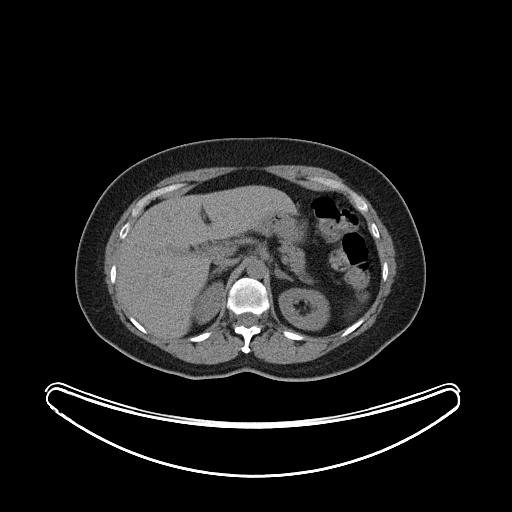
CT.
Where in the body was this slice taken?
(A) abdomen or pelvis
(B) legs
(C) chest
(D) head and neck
(A) abdomen or pelvis
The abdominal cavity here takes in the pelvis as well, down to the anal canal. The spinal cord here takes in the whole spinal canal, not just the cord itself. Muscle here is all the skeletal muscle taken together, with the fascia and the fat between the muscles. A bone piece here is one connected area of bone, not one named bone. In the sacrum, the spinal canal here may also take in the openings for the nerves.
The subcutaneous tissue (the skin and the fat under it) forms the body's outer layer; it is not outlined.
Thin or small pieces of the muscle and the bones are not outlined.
The bones appear in 9 outlined pieces: piece 1: [[242,277],[253,278],[261,282],[267,291],[269,302],[269,308],[259,319],[260,332],[254,334],[249,341],[248,345],[250,350],[248,353],[244,353],[241,350],[244,345],[244,339],[240,334],[234,331],[233,326],[236,322],[236,317],[226,306],[230,288]], around a hole outlined by [[246,312],[249,312],[250,313],[252,313],[257,316],[258,318],[258,322],[257,324],[254,324],[248,327],[244,325],[242,325],[241,324],[238,324],[238,322],[237,321],[237,317],[239,315],[243,313],[245,313]]; piece 2: [[312,176],[322,176],[325,178],[330,178],[342,182],[350,189],[356,192],[361,197],[367,205],[368,209],[367,211],[362,213],[357,209],[355,207],[354,203],[352,201],[350,196],[345,191],[341,191],[337,189],[330,189],[323,185],[308,180],[307,178]]; piece 3: [[176,183],[184,183],[185,184],[183,186],[180,187],[178,189],[176,189],[174,191],[166,193],[164,195],[162,195],[159,197],[157,197],[155,199],[153,199],[141,210],[137,216],[133,217],[131,215],[131,211],[135,206],[136,203],[147,193],[152,190]]; piece 4: [[284,330],[287,330],[288,331],[291,331],[292,332],[295,332],[296,333],[299,333],[300,334],[301,334],[304,336],[304,339],[303,339],[302,340],[296,340],[295,339],[291,339],[290,338],[288,338],[287,337],[286,337],[283,334],[283,331]]; piece 5: [[206,331],[209,331],[210,332],[211,332],[211,334],[210,335],[210,336],[209,336],[207,338],[206,338],[201,341],[190,341],[188,339],[188,338],[189,337],[191,337],[192,336],[195,336],[196,335],[198,335],[199,334],[200,334],[203,332],[205,332]]; piece 6: [[360,318],[363,318],[363,321],[354,330],[353,330],[351,332],[350,332],[348,334],[347,334],[345,336],[341,336],[341,334],[343,332],[343,331],[346,328],[347,328],[349,326],[350,326],[352,324],[353,324],[355,322],[356,322]]; piece 7: [[126,222],[129,222],[130,223],[130,228],[129,229],[129,231],[127,233],[127,234],[126,235],[126,236],[123,239],[121,239],[119,237],[119,231],[120,230],[120,229],[121,228],[121,227]]; piece 8: [[130,316],[131,316],[132,317],[133,317],[144,328],[145,328],[145,329],[146,330],[147,330],[147,333],[144,333],[142,331],[141,331],[139,329],[138,329],[130,321],[130,320],[129,319],[129,317]]; piece 9: [[373,222],[376,225],[376,226],[377,227],[377,228],[378,229],[378,231],[379,232],[379,237],[378,238],[375,238],[372,235],[372,234],[371,233],[371,232],[370,231],[370,230],[369,229],[369,228],[370,227],[370,225],[371,224],[371,223],[372,223]]. The torso is outlined by [[264,136],[304,139],[343,149],[375,166],[395,186],[413,218],[425,258],[425,290],[409,326],[364,364],[311,381],[284,381],[247,371],[218,378],[186,378],[141,364],[98,336],[79,306],[74,268],[83,228],[105,188],[132,164],[173,146],[213,138]]. The abdominal cavity is outlined by [[239,170],[265,171],[313,191],[341,193],[362,214],[374,239],[381,280],[361,317],[328,335],[296,332],[275,320],[266,287],[248,276],[231,285],[225,311],[215,324],[195,335],[161,337],[130,315],[116,283],[116,265],[142,210],[153,200],[179,196]]. The spinal cord is outlined by [[246,312],[249,312],[250,313],[252,313],[257,316],[258,318],[258,322],[257,324],[254,324],[248,327],[244,325],[242,325],[241,324],[238,324],[238,322],[237,321],[237,317],[239,315],[243,313],[245,313]]. The muscle is outlined by [[280,164],[320,167],[347,179],[365,195],[387,229],[395,251],[396,274],[374,323],[359,335],[305,362],[271,363],[249,353],[250,341],[261,332],[260,319],[270,306],[274,320],[293,331],[282,331],[288,339],[302,341],[304,335],[323,337],[340,331],[340,336],[345,337],[364,321],[362,317],[374,303],[381,281],[387,280],[388,263],[383,261],[381,264],[380,261],[375,242],[380,237],[377,225],[373,221],[369,227],[363,215],[369,209],[367,203],[342,181],[322,175],[306,178],[330,190],[345,192],[353,204],[335,190],[313,190],[265,170],[239,169],[201,181],[179,195],[157,198],[178,190],[186,184],[184,182],[158,187],[143,195],[130,211],[135,218],[133,223],[126,221],[118,231],[118,237],[123,241],[117,263],[110,267],[109,278],[117,286],[129,321],[144,334],[151,332],[161,338],[201,342],[211,336],[212,332],[208,330],[226,308],[235,317],[232,328],[243,339],[242,352],[215,364],[190,363],[131,332],[113,306],[105,282],[104,259],[111,232],[132,201],[162,179],[183,171],[216,166]].